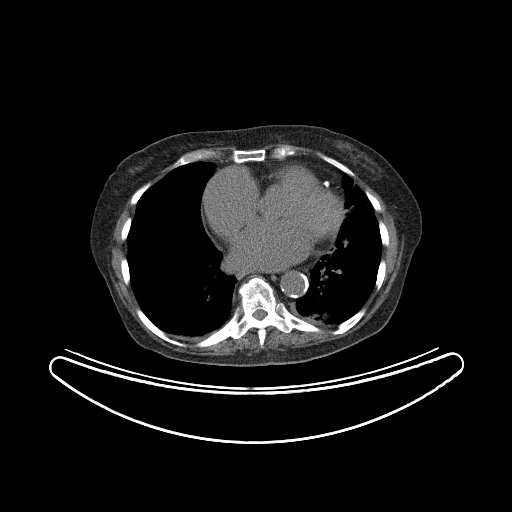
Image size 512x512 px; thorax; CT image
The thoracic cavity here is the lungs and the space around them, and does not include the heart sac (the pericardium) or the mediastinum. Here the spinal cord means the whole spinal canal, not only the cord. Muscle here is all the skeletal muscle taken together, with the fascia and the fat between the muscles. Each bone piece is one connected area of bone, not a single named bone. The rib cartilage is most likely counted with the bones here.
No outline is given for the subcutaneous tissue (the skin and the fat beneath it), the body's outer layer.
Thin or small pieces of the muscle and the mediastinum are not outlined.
The bones appear in 13 outlined pieces: piece 1: 252 276; 263 277; 273 288; 276 299; 282 302; 288 311; 318 327; 320 331; 293 328; 286 333; 270 325; 265 329; 261 347; 257 329; 251 327; 237 339; 228 337; 212 345; 196 346; 197 342; 218 330; 230 319; 238 303; 238 285, around a hole outlined by 257 310; 263 310; 264 311; 265 311; 266 312; 266 315; 263 318; 262 318; 261 319; 257 319; 256 318; 255 318; 253 316; 253 313; 255 311; 256 311; piece 2: 202 150; 213 150; 214 151; 218 151; 221 153; 221 155; 219 158; 210 158; 205 160; 197 160; 196 161; 193 161; 189 163; 186 163; 180 165; 170 170; 170 167; 174 162; 175 162; 176 160; 181 156; 188 154; 191 152; 201 151; piece 3: 260 148; 265 149; 267 152; 267 156; 266 158; 262 161; 256 161; 255 160; 250 160; 249 161; 242 161; 241 162; 238 162; 236 163; 232 161; 229 156; 232 150; 234 149; 241 149; 242 150; 251 150; 252 149; 259 149; piece 4: 138 307; 140 308; 140 309; 145 314; 145 315; 158 328; 163 331; 170 338; 177 340; 180 342; 182 342; 184 343; 186 346; 179 346; 178 345; 172 344; 159 337; 156 334; 151 331; 142 322; 138 316; 136 312; 136 309; piece 5: 362 308; 364 308; 365 309; 365 313; 362 316; 362 317; 353 326; 352 326; 349 329; 348 329; 343 333; 340 333; 339 334; 332 334; 332 331; 333 330; 334 330; 340 323; 341 323; 342 322; 347 320; 349 318; 350 318; piece 6: 287 145; 288 146; 291 146; 292 147; 293 147; 294 148; 295 148; 296 149; 296 154; 295 154; 294 155; 288 155; 287 156; 285 156; 282 158; 271 158; 269 156; 269 153; 274 148; 275 148; 276 147; 281 147; 282 146; 286 146; piece 7: 318 153; 323 153; 324 154; 337 160; 339 162; 340 162; 342 164; 345 165; 348 168; 349 168; 354 173; 354 174; 355 175; 353 177; 352 177; 351 176; 348 175; 345 172; 342 171; 337 167; 334 166; 332 164; 321 159; 318 156; piece 8: 381 259; 383 259; 385 261; 385 275; 384 276; 384 278; 383 279; 383 281; 382 282; 382 284; 380 288; 378 290; 376 290; 375 288; 375 283; 376 282; 376 278; 377 277; 377 272; 378 271; 378 268; 379 267; 379 264; 380 263; piece 9: 147 182; 150 182; 151 185; 140 196; 139 199; 137 201; 137 202; 135 204; 135 205; 132 205; 130 202; 130 201; 131 200; 131 197; 132 196; 132 195; 134 193; 134 192; 138 188; 139 188; 142 185; 143 185; 145 183; 146 183; piece 10: 379 220; 381 220; 384 223; 384 224; 386 226; 386 228; 387 229; 387 232; 388 233; 388 237; 389 238; 389 243; 387 246; 382 245; 382 242; 381 241; 381 236; 380 235; 380 231; 379 230; 379 224; 378 223; 378 221; piece 11: 123 257; 125 257; 126 258; 127 260; 127 263; 128 264; 128 268; 129 269; 129 277; 130 278; 130 280; 129 281; 129 284; 127 285; 125 283; 123 279; 123 276; 122 275; 122 272; 121 271; 121 265; 120 263; 121 262; 121 259; piece 12: 365 190; 368 190; 377 199; 377 200; 379 202; 379 204; 380 205; 380 207; 381 208; 381 210; 379 212; 378 211; 375 211; 375 210; 373 208; 373 206; 371 204; 371 203; 370 202; 369 199; 367 197; 367 196; 364 191; piece 13: 128 217; 130 217; 131 218; 131 224; 130 225; 130 227; 129 228; 129 230; 128 231; 128 234; 127 235; 127 237; 126 238; 126 239; 124 241; 123 241; 121 239; 121 230; 122 229; 122 227; 123 226; 123 224; 124 223; 124 222. The mediastinum appears in 3 outlined pieces: piece 1: 334 242; 334 249; 331 253; 322 254; 311 268; 307 290; 294 301; 292 312; 282 301; 277 299; 274 288; 261 275; 252 275; 237 285; 237 303; 235 302; 236 278; 227 273; 223 262; 224 255; 226 254; 243 268; 274 273; 305 264; piece 2: 301 154; 302 155; 314 156; 317 158; 319 158; 349 176; 342 181; 341 184; 343 190; 338 178; 327 169; 319 165; 299 160; 283 160; 282 159; 265 160; 268 158; 271 159; 282 159; 288 156; 294 156; piece 3: 210 159; 218 159; 219 160; 223 160; 224 161; 231 161; 235 163; 233 164; 228 164; 227 165; 224 165; 220 167; 216 171; 214 171; 214 169; 215 168; 215 165; 212 162; 210 162; 209 161; 206 161; 206 160; 209 160. The pericardium is outlined by 274 160; 306 162; 319 166; 335 176; 343 191; 343 206; 345 208; 343 215; 345 217; 339 226; 333 243; 326 249; 318 252; 305 263; 268 272; 243 267; 226 253; 223 255; 203 225; 201 201; 208 180; 220 168; 242 162; 257 163. The torso is outlined by 267 124; 315 125; 353 137; 381 154; 413 193; 421 211; 422 233; 411 258; 401 296; 389 321; 378 332; 354 345; 326 356; 291 364; 208 365; 168 358; 140 346; 127 332; 90 249; 92 215; 105 181; 125 157; 166 136; 188 131. The muscle appears in 4 outlined pieces: piece 1: 355 173; 389 206; 396 222; 404 233; 404 247; 400 267; 389 293; 372 316; 355 331; 340 338; 289 350; 269 349; 251 355; 198 355; 173 350; 153 339; 139 325; 121 301; 107 269; 107 258; 110 239; 116 222; 130 198; 130 204; 135 207; 133 216; 128 216; 125 219; 120 230; 120 239; 123 242; 126 240; 127 247; 126 257; 123 256; 120 259; 120 271; 124 283; 127 286; 130 284; 139 306; 135 309; 137 316; 159 338; 179 347; 187 346; 184 342; 178 340; 184 340; 196 342; 196 347; 204 348; 228 338; 237 340; 249 329; 254 328; 256 329; 259 346; 262 348; 267 334; 266 329; 270 326; 286 334; 293 329; 319 333; 320 328; 331 329; 336 326; 331 331; 331 334; 343 334; 353 327; 366 313; 366 309; 363 307; 374 288; 376 291; 381 288; 386 275; 386 261; 381 258; 382 246; 387 247; 390 243; 387 226; 381 219; 377 219; 375 213; 379 213; 382 210; 380 202; 368 189; 363 190; 356 183; 353 178; 356 175; piece 2: 276 143; 287 143; 290 145; 295 145; 296 146; 301 146; 302 147; 311 148; 321 152; 318 152; 317 153; 317 156; 318 157; 314 155; 310 155; 309 154; 302 154; 301 153; 300 154; 297 154; 297 149; 295 147; 287 144; 286 145; 282 145; 281 146; 276 146; 274 147; 268 153; 268 156; 269 157; 267 158; 268 156; 268 152; 265 148; 263 148; 262 147; 268 144; 275 144; piece 3: 223 146; 234 146; 237 148; 234 148; 233 149; 232 149; 229 153; 228 156; 229 157; 230 160; 224 160; 223 159; 219 159; 221 157; 221 156; 222 155; 222 153; 218 150; 214 150; 213 149; 202 149; 201 150; 195 150; 194 151; 191 151; 188 153; 186 153; 185 154; 183 154; 184 154; 185 153; 187 153; 190 151; 193 151; 194 150; 196 150; 197 149; 200 149; 201 148; 208 148; 209 147; 222 147; piece 4: 172 163; 173 163; 169 167; 169 171; 168 171; 161 178; 160 178; 157 181; 156 181; 154 183; 153 183; 152 184; 150 181; 147 181; 148 180; 149 180; 153 176; 154 176; 160 170; 161 170; 166 166; 167 166; 168 165; 169 165. The spinal cord is outlined by 257 310; 263 310; 264 311; 265 311; 266 312; 266 315; 263 318; 262 318; 261 319; 257 319; 256 318; 255 318; 253 316; 253 313; 255 311; 256 311. The thoracic cavity appears in 2 outlined pieces: piece 1: 197 161; 205 161; 214 165; 213 172; 203 188; 200 216; 206 234; 222 254; 226 273; 235 278; 233 290; 236 305; 231 316; 222 326; 202 339; 188 341; 176 339; 166 333; 141 309; 130 283; 127 238; 136 204; 141 196; 171 170; piece 2: 349 177; 364 192; 374 210; 381 242; 380 260; 374 287; 363 306; 337 325; 331 328; 323 328; 292 313; 295 301; 308 290; 312 268; 321 259; 322 255; 329 255; 335 249; 335 240; 340 226; 348 214; 344 206; 345 195; 342 184.